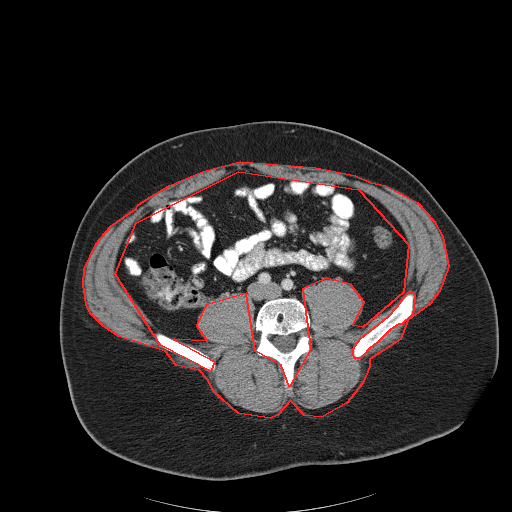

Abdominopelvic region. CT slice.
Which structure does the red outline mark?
red: muscle.
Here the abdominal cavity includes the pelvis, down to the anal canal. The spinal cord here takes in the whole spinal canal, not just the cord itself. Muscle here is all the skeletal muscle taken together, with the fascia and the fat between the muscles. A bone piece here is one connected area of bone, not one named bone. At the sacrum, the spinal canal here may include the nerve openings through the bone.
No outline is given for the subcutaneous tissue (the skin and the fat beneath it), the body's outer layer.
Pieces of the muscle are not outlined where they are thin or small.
{"muscle":[{"outer":[[240,161],[315,167],[355,175],[370,182],[385,185],[417,202],[433,220],[442,236],[448,266],[439,291],[429,304],[407,320],[400,339],[369,359],[369,366],[362,383],[346,403],[321,417],[304,415],[290,400],[277,415],[270,418],[238,413],[213,391],[208,380],[199,370],[176,365],[165,351],[118,336],[102,325],[90,313],[86,304],[83,284],[84,269],[96,243],[110,226],[136,208],[138,204],[169,185],[202,171]],"holes":[[[238,171],[358,189],[408,244],[403,292],[362,327],[353,325],[364,302],[350,284],[326,278],[302,289],[310,349],[289,386],[281,365],[255,351],[246,293],[205,305],[196,325],[207,341],[174,339],[214,361],[210,371],[160,345],[115,274],[136,222]],[[408,292],[412,292],[414,294],[414,302],[413,303],[413,311],[412,312],[412,314],[401,324],[398,324],[390,329],[377,342],[369,348],[362,356],[359,358],[355,358],[352,354],[353,353],[353,348],[360,338],[388,316],[397,306],[403,297]]]}],"spinal_cord":[[[291,334],[293,334],[295,336],[296,338],[296,343],[295,344],[295,346],[290,351],[288,352],[283,352],[279,350],[279,349],[277,348],[272,342],[272,339],[275,335],[279,335],[280,336],[287,336]]],"abdominal_cavity":[[[238,171],[347,185],[379,201],[407,240],[403,292],[362,327],[353,326],[362,315],[362,296],[335,278],[302,289],[308,310],[296,297],[282,296],[266,300],[255,318],[246,293],[220,293],[196,319],[207,341],[163,333],[116,278],[124,237],[158,207]]],"bones":[{"outer":[[282,297],[296,298],[299,300],[308,311],[311,326],[306,330],[311,335],[309,342],[310,349],[296,361],[293,380],[289,386],[285,386],[284,384],[281,365],[273,358],[260,356],[255,351],[257,346],[256,340],[259,335],[255,330],[257,312],[266,301]],"hole":[[291,334],[293,334],[295,336],[296,338],[296,343],[295,344],[295,346],[290,351],[288,352],[283,352],[279,350],[279,349],[277,348],[272,342],[272,339],[275,335],[279,335],[280,336],[287,336]]},[[408,292],[412,292],[414,294],[414,302],[413,303],[413,311],[412,312],[412,314],[401,324],[398,324],[390,329],[377,342],[369,348],[362,356],[359,358],[355,358],[352,354],[353,353],[353,348],[360,338],[388,316],[397,306],[403,297]],[[157,332],[160,332],[177,341],[179,341],[182,343],[192,346],[194,348],[207,355],[215,362],[215,368],[214,370],[212,371],[207,370],[205,368],[200,366],[197,363],[195,363],[191,360],[181,355],[173,353],[163,348],[157,341],[155,337],[155,333]]],"torso":[[[264,120],[301,122],[343,133],[391,158],[426,187],[467,240],[488,278],[498,320],[497,367],[459,427],[385,457],[297,466],[223,481],[183,477],[139,466],[102,449],[81,425],[71,402],[59,342],[59,308],[75,232],[104,184],[145,149],[189,131]]]}